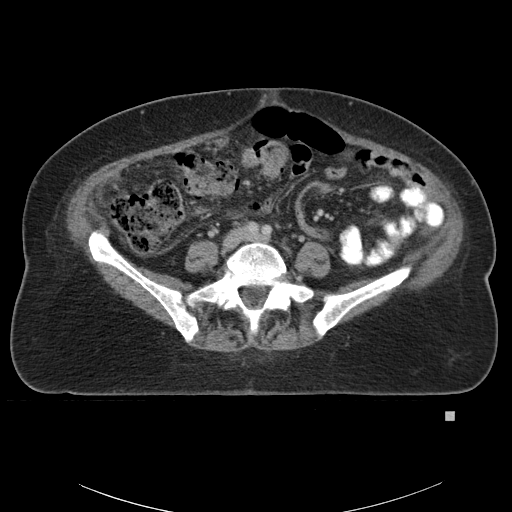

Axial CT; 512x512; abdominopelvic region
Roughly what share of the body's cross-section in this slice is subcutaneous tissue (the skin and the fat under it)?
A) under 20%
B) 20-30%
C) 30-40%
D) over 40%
Answer: D) over 40%
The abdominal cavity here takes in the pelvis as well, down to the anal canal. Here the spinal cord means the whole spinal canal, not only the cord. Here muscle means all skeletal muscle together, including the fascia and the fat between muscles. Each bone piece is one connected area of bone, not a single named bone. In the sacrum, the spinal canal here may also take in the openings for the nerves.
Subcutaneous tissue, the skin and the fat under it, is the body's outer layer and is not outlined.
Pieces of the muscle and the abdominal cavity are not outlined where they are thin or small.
The abdominal cavity is outlined by (270, 102) (318, 118) (352, 145) (396, 156) (419, 169) (445, 210) (438, 233) (410, 250) (398, 267) (335, 289) (313, 289) (294, 282) (280, 252) (261, 241) (240, 245) (216, 279) (198, 287) (122, 255) (109, 239) (106, 218) (94, 206) (94, 190) (138, 161) (225, 136), around a hole outlined by (309, 241) (319, 243) (325, 246) (327, 248) (327, 251) (330, 260) (330, 264) (331, 265) (331, 269) (325, 276) (321, 278) (314, 278) (313, 277) (310, 277) (304, 275) (294, 268) (293, 266) (293, 263) (297, 255) (297, 253) (302, 246) (306, 242). The torso is outlined by (279, 86) (336, 91) (388, 108) (440, 140) (469, 169) (487, 203) (496, 238) (488, 281) (498, 344) (485, 379) (469, 391) (439, 395) (81, 395) (43, 393) (27, 386) (12, 364) (9, 334) (25, 266) (22, 212) (28, 187) (43, 162) (95, 122) (148, 101) (218, 89). The bones appear in 2 outlined pieces: piece 1: (95, 229) (144, 276) (184, 296) (218, 280) (227, 259) (253, 242) (273, 246) (285, 262) (287, 278) (314, 294) (304, 302) (292, 301) (286, 310) (265, 311) (255, 334) (239, 310) (198, 302) (187, 307) (198, 325) (187, 343) (155, 297) (117, 268) (93, 258) (88, 237); inner edge: (249, 286) (263, 286) (264, 287) (266, 287) (267, 288) (265, 298) (264, 299) (262, 304) (259, 307) (257, 307) (256, 308) (253, 308) (252, 307) (248, 307) (245, 304) (245, 303) (241, 296) (241, 291) (242, 290) (242, 289) (244, 287) (248, 287); piece 2: (404, 265) (410, 265) (411, 271) (409, 275) (401, 283) (390, 290) (384, 291) (353, 307) (333, 327) (329, 329) (323, 336) (319, 338) (312, 324) (312, 321) (317, 312) (323, 306) (324, 303) (323, 297) (326, 294) (339, 294) (354, 290). The muscle appears in 4 outlined pieces: piece 1: (274, 98) (314, 111) (348, 133) (395, 149) (429, 168) (449, 186) (458, 202) (464, 219) (464, 237) (452, 265) (434, 283) (419, 292) (394, 293) (381, 305) (340, 325) (337, 333) (312, 345) (269, 352) (255, 347) (239, 352) (197, 349) (187, 344) (199, 331) (197, 318) (188, 307) (194, 308) (198, 303) (211, 303) (225, 311) (235, 309) (247, 319) (249, 333) (255, 335) (265, 312) (277, 309) (286, 311) (292, 302) (304, 303) (314, 296) (316, 288) (335, 290) (363, 278) (375, 278) (361, 286) (345, 292) (326, 293) (322, 297) (322, 306) (311, 321) (320, 339) (353, 308) (401, 284) (410, 275) (412, 266) (398, 266) (410, 251) (424, 246) (435, 237) (446, 219) (446, 210) (434, 197) (423, 172) (409, 161) (369, 146) (352, 144) (337, 129) (318, 117) (277, 101) (270, 101) (258, 107) (225, 135) (138, 160) (93, 190) (93, 206) (105, 218) (110, 232) (108, 237) (98, 228) (89, 233) (87, 245) (92, 258) (117, 269) (155, 298) (185, 342) (174, 336) (167, 325) (115, 293) (84, 253) (72, 245) (65, 221) (68, 202) (78, 185) (101, 166) (134, 153) (226, 127) (262, 100); piece 2: (309, 241) (319, 243) (325, 246) (327, 248) (327, 251) (330, 260) (330, 264) (331, 265) (331, 269) (325, 276) (321, 278) (314, 278) (313, 277) (310, 277) (304, 275) (294, 268) (293, 266) (293, 263) (297, 255) (297, 253) (302, 246) (306, 242); piece 3: (200, 240) (208, 240) (211, 242) (215, 243) (217, 245) (217, 249) (218, 250) (218, 261) (217, 263) (213, 266) (211, 271) (206, 274) (202, 274) (201, 273) (192, 273) (189, 272) (185, 269) (184, 266) (185, 257) (187, 253) (187, 250) (190, 244) (194, 241) (199, 241); piece 4: (125, 258) (137, 266) (141, 266) (147, 268) (149, 270) (151, 270) (157, 273) (167, 274) (170, 276) (173, 276) (180, 279) (184, 282) (188, 282) (195, 287) (197, 287) (197, 288) (190, 291) (184, 295) (183, 293) (178, 289) (166, 286) (161, 283) (156, 282) (147, 277). The spinal cord is outlined by (249, 286) (263, 286) (264, 287) (266, 287) (267, 288) (265, 298) (264, 299) (262, 304) (259, 307) (257, 307) (256, 308) (253, 308) (252, 307) (248, 307) (245, 304) (245, 303) (241, 296) (241, 291) (242, 290) (242, 289) (244, 287) (248, 287).